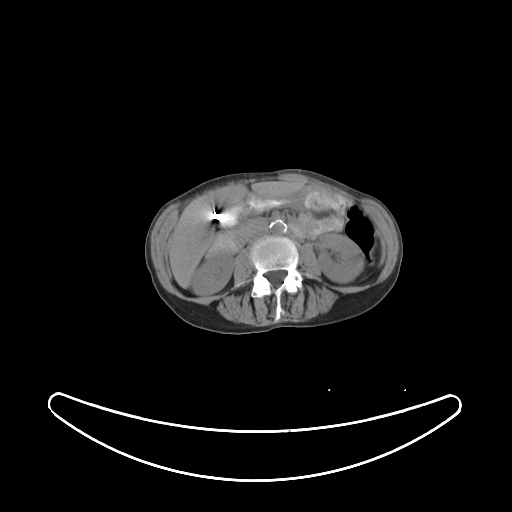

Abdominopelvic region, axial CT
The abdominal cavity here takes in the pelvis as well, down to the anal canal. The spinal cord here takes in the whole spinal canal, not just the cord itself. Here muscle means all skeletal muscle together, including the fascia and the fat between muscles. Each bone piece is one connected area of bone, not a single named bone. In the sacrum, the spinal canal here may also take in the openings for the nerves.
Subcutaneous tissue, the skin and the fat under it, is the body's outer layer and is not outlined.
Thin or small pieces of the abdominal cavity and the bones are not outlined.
{"bones":[{"outer":[[269,235],[285,236],[293,240],[298,252],[297,268],[311,276],[303,275],[302,289],[293,293],[286,291],[281,293],[280,304],[283,312],[278,321],[275,320],[276,297],[273,293],[261,297],[251,295],[252,279],[256,271],[250,259],[250,249],[257,239]],"hole":[[270,271],[285,271],[285,275],[284,276],[284,277],[283,278],[283,279],[282,280],[282,282],[278,286],[276,286],[275,287],[274,286],[273,286],[271,284],[271,283],[270,282],[270,281],[265,276],[265,274],[266,273],[267,273],[268,272],[269,272]]}],"muscle":[{"outer":[[283,173],[299,173],[300,174],[307,175],[310,177],[316,178],[321,181],[342,188],[357,197],[371,199],[377,202],[387,212],[393,221],[397,233],[399,248],[398,249],[397,260],[394,269],[391,274],[383,282],[375,286],[373,286],[366,290],[360,292],[357,292],[356,293],[353,293],[352,294],[347,294],[343,299],[342,299],[341,301],[338,302],[330,311],[325,314],[319,315],[307,321],[304,321],[303,322],[290,322],[289,321],[286,322],[278,322],[266,326],[251,326],[247,324],[234,323],[228,321],[222,318],[216,313],[213,313],[209,311],[202,305],[188,302],[187,301],[184,301],[177,298],[175,296],[167,292],[162,287],[156,276],[155,269],[153,266],[152,260],[151,259],[151,255],[150,254],[150,237],[151,236],[151,232],[157,219],[162,212],[168,206],[176,202],[183,201],[188,198],[190,198],[198,193],[201,193],[204,190],[208,188],[210,188],[216,185],[224,184],[226,182],[231,180],[245,179],[246,178],[247,179],[253,177],[256,178],[261,178],[262,177],[275,177]],"hole":[[275,180],[339,194],[368,214],[381,243],[375,272],[361,285],[333,285],[319,276],[313,245],[296,243],[297,268],[311,276],[303,275],[302,289],[281,293],[278,321],[273,293],[251,295],[255,269],[245,247],[222,293],[177,291],[170,248],[180,212]]}],"abdominal_cavity":[[[275,180],[339,194],[368,214],[381,243],[375,272],[361,285],[333,285],[319,276],[322,272],[311,243],[296,243],[285,235],[269,234],[236,253],[232,284],[222,293],[193,296],[177,291],[170,269],[170,248],[180,212],[202,198],[230,188]]],"torso":[[[280,168],[305,168],[317,171],[379,198],[389,208],[399,224],[404,249],[402,266],[395,285],[369,311],[334,324],[316,327],[280,327],[267,332],[232,335],[203,330],[185,323],[159,298],[145,264],[144,241],[153,216],[166,201],[210,178],[235,172]]],"spinal_cord":[[[270,271],[285,271],[285,275],[284,276],[284,277],[283,278],[283,279],[282,280],[282,282],[278,286],[276,286],[275,287],[274,286],[273,286],[271,284],[271,283],[270,282],[270,281],[265,276],[265,274],[266,273],[267,273],[268,272],[269,272]]]}